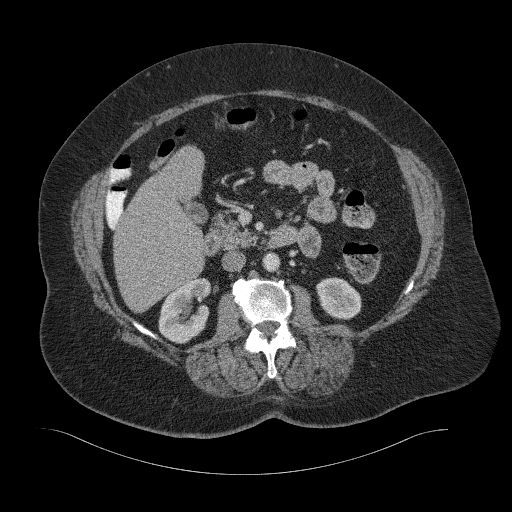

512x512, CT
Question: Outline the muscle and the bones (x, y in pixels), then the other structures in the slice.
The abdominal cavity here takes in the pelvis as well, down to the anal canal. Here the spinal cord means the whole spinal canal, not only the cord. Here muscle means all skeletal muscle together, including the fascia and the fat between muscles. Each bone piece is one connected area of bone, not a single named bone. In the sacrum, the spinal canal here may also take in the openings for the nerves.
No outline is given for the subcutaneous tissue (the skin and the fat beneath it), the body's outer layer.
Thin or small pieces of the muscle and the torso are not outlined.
Answer: Outlines:
muscle: 259 89; 281 89; 323 96; 357 111; 392 142; 411 149; 419 156; 437 179; 442 194; 445 210; 444 246; 440 269; 427 287; 427 293; 402 319; 365 342; 355 355; 352 369; 343 385; 327 397; 286 397; 275 383; 265 385; 247 397; 223 398; 203 392; 183 372; 115 335; 118 326; 109 314; 95 305; 92 290; 75 259; 72 247; 70 213; 73 201; 84 183; 110 162; 139 122; 202 94, around a hole outlined by 252 95; 341 112; 379 137; 393 153; 420 237; 413 288; 362 329; 321 323; 310 292; 289 284; 296 347; 276 351; 274 378; 261 351; 244 349; 250 324; 230 289; 211 337; 181 348; 136 329; 114 299; 102 259; 116 158; 155 126
bones 1: 257 276; 266 279; 282 278; 291 293; 292 310; 288 326; 295 338; 296 347; 279 348; 276 351; 274 364; 277 375; 274 378; 266 375; 267 360; 261 351; 251 353; 244 349; 250 324; 243 319; 242 311; 231 291; 233 282; 238 278; inner edge: 264 321; 272 321; 278 324; 277 327; 273 331; 274 333; 274 335; 271 336; 269 338; 267 337; 265 337; 264 336; 262 336; 262 335; 264 334; 260 330; 259 330; 257 327; 257 325; 258 324
bones 2: 132 319; 142 324; 146 328; 147 328; 149 330; 150 330; 152 332; 156 334; 158 336; 159 339; 158 340; 153 339; 141 333; 139 331; 138 331; 132 324; 131 322; 131 320
bones 3: 411 278; 412 279; 413 279; 413 280; 414 281; 414 285; 413 286; 413 288; 411 290; 411 291; 409 293; 409 294; 408 295; 404 295; 402 293; 402 292; 403 291; 403 290; 406 287; 406 286; 408 284; 408 283; 409 282; 409 280
spinal cord: 264 321; 272 321; 278 324; 277 327; 273 331; 274 333; 274 335; 271 336; 269 338; 267 337; 265 337; 264 336; 262 336; 262 335; 264 334; 260 330; 259 330; 257 327; 257 325; 258 324
torso: 234 42; 298 46; 351 63; 403 98; 449 148; 501 317; 487 365; 474 381; 350 425; 303 427; 269 418; 203 439; 120 423; 86 408; 56 382; 39 344; 46 282; 37 241; 38 200; 49 163; 85 116; 137 72; 185 51
abdominal cavity: 252 95; 296 100; 341 112; 391 149; 420 237; 417 261; 391 306; 359 330; 318 321; 311 309; 310 292; 301 285; 287 286; 282 277; 240 276; 219 299; 211 337; 181 348; 130 317; 114 299; 102 259; 110 167; 155 126; 218 100